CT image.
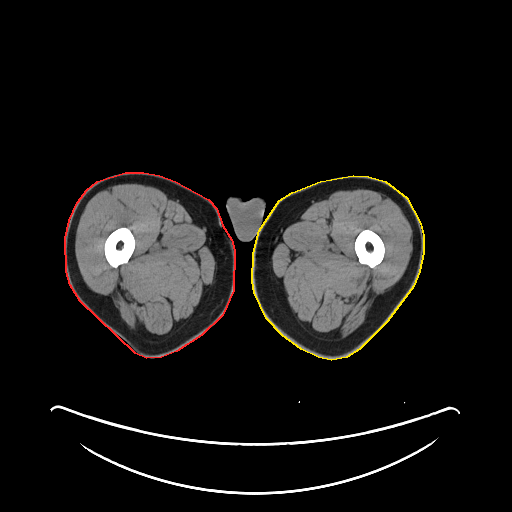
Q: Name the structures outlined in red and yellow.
A: red: right leg; yellow: left leg.
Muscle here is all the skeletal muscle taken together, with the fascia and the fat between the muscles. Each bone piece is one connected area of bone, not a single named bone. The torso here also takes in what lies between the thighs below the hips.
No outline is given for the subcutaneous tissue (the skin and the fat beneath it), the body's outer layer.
The right leg is outlined by 125 172; 143 172; 159 175; 175 181; 208 199; 216 208; 222 225; 231 239; 234 250; 233 290; 222 315; 201 335; 176 351; 161 357; 146 358; 135 353; 80 301; 70 285; 66 271; 65 238; 69 220; 77 202; 87 189; 97 181. The left leg is outlined by 353 175; 368 176; 385 181; 406 197; 420 223; 423 235; 423 252; 419 271; 413 286; 387 321; 359 349; 346 357; 331 360; 318 357; 301 349; 282 335; 266 318; 254 292; 252 281; 253 253; 259 230; 279 200; 292 192; 320 181. The torso is outlined by 232 194; 241 195; 243 196; 246 200; 257 196; 263 197; 265 200; 265 208; 263 213; 263 218; 264 220; 259 228; 256 236; 253 237; 252 239; 249 241; 244 242; 239 240; 236 237; 233 230; 225 206; 226 204; 226 199; 228 196. The muscle appears in 2 outlined pieces: piece 1: 123 183; 138 183; 153 186; 177 199; 206 228; 206 234; 215 259; 216 267; 213 282; 192 316; 161 342; 151 343; 131 330; 122 320; 119 311; 112 302; 105 296; 92 291; 86 285; 79 271; 75 256; 76 230; 86 204; 99 191, around a hole outlined by 120 227; 127 227; 129 228; 129 229; 134 236; 134 239; 135 240; 135 247; 130 258; 126 263; 123 263; 119 265; 117 267; 113 267; 109 264; 105 257; 105 254; 104 253; 104 243; 108 235; 111 232; 112 232; 117 228; 119 228; piece 2: 353 188; 370 189; 380 192; 384 196; 389 197; 400 207; 412 229; 413 249; 403 275; 393 286; 377 298; 363 324; 343 339; 324 339; 315 336; 302 326; 291 310; 282 283; 273 271; 271 257; 282 231; 311 202; 328 196; 335 191 with a hole at 364 229; 370 229; 378 234; 382 239; 383 243; 384 244; 384 246; 385 247; 385 252; 384 253; 383 259; 380 263; 372 268; 366 264; 362 264; 360 263; 354 249; 354 242; 355 241; 355 239; 357 235; 362 230. The bones appear in 2 outlined pieces: piece 1: 120 227; 127 227; 129 228; 129 229; 134 236; 134 239; 135 240; 135 247; 130 258; 126 263; 123 263; 119 265; 117 267; 113 267; 109 264; 105 257; 105 254; 104 253; 104 243; 108 235; 111 232; 112 232; 117 228; 119 228; piece 2: 364 229; 370 229; 378 234; 382 239; 383 243; 384 244; 384 246; 385 247; 385 252; 384 253; 383 259; 380 263; 372 268; 366 264; 362 264; 360 263; 354 249; 354 242; 355 241; 355 239; 357 235; 362 230.